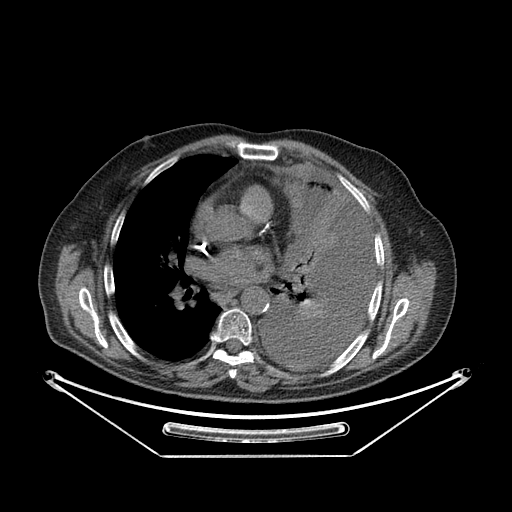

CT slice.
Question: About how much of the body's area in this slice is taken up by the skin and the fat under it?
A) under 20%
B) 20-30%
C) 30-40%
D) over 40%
Answer: B) 20-30%
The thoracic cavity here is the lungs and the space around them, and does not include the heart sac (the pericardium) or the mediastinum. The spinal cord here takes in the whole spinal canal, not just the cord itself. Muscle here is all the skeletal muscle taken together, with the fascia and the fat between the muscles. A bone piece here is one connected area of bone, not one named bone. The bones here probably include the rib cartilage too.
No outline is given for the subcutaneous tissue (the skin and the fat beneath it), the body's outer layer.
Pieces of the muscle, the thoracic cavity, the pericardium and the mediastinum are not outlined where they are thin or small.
Outlines (x, y in pixels):
spinal cord: (229, 339) (237, 339) (241, 343) (241, 344) (242, 345) (242, 348) (238, 352) (237, 352) (236, 353) (230, 353) (225, 348) (225, 343)
bones 1: (234, 307) (241, 309) (249, 317) (255, 337) (253, 348) (263, 362) (255, 360) (237, 364) (234, 367) (236, 369) (234, 378) (231, 378) (228, 373) (231, 367) (228, 363) (215, 359) (210, 355) (202, 361) (187, 365) (208, 349) (210, 333) (216, 327) (221, 312) with a hole at (229, 339) (237, 339) (241, 343) (241, 344) (242, 345) (242, 348) (238, 352) (237, 352) (236, 353) (230, 353) (225, 348) (225, 343)
bones 2: (231, 140) (234, 140) (235, 141) (245, 141) (246, 142) (252, 142) (253, 143) (273, 144) (274, 145) (276, 145) (278, 147) (279, 149) (279, 154) (278, 156) (273, 160) (246, 159) (241, 157) (233, 149) (231, 149) (226, 145) (226, 143) (228, 141) (230, 141)
bones 3: (367, 328) (369, 329) (368, 336) (365, 340) (363, 345) (359, 349) (355, 355) (344, 366) (337, 371) (332, 373) (328, 376) (319, 377) (318, 375) (325, 370) (329, 366) (329, 364) (330, 364) (346, 349) (346, 348) (355, 339) (359, 333) (364, 329) (366, 329)
bones 4: (110, 309) (111, 309) (117, 315) (120, 322) (127, 332) (128, 335) (138, 346) (138, 350) (147, 359) (147, 361) (146, 362) (145, 361) (142, 361) (134, 356) (127, 349) (126, 349) (126, 348) (119, 340) (119, 339) (115, 334) (110, 324) (110, 322) (108, 318) (108, 311)
bones 5: (84, 286) (87, 288) (90, 293) (93, 307) (96, 311) (98, 316) (98, 319) (99, 320) (98, 326) (100, 332) (108, 344) (108, 346) (106, 348) (103, 347) (99, 343) (95, 335) (94, 323) (91, 315) (87, 311) (84, 310) (81, 307) (79, 303) (79, 290) (81, 287)
bones 6: (404, 297) (407, 298) (409, 301) (409, 304) (406, 310) (406, 312) (401, 317) (398, 318) (394, 323) (394, 325) (391, 331) (390, 339) (384, 351) (375, 359) (373, 359) (372, 358) (373, 352) (380, 347) (384, 341) (386, 333) (393, 317) (394, 307) (397, 301) (399, 299)
bones 7: (338, 172) (343, 175) (348, 180) (349, 180) (350, 182) (351, 182) (362, 192) (369, 204) (369, 208) (370, 209) (370, 212) (369, 213) (366, 213) (366, 212) (364, 211) (362, 207) (355, 199) (355, 198) (342, 185) (342, 184) (339, 181) (336, 176) (336, 173)
bones 8: (380, 279) (383, 281) (383, 283) (382, 284) (382, 293) (381, 294) (381, 299) (380, 300) (379, 307) (378, 308) (377, 313) (375, 316) (375, 318) (373, 321) (370, 322) (368, 319) (368, 316) (367, 315) (368, 305) (371, 299) (376, 283) (377, 281)
bones 9: (176, 154) (179, 154) (180, 155) (180, 158) (175, 163) (174, 163) (170, 167) (165, 169) (159, 174) (158, 174) (155, 177) (154, 177) (146, 185) (144, 186) (142, 186) (144, 180) (151, 172) (151, 171) (157, 165) (163, 162) (165, 160) (171, 157) (173, 155) (175, 155)
bones 10: (106, 262) (108, 262) (112, 266) (112, 269) (113, 270) (113, 280) (114, 281) (114, 288) (115, 290) (114, 291) (114, 294) (111, 295) (110, 297) (108, 297) (107, 296) (106, 292) (105, 291) (105, 287) (104, 286) (104, 278) (103, 277) (103, 270) (104, 269) (104, 265)
bones 11: (377, 232) (379, 233) (381, 237) (381, 240) (382, 241) (382, 245) (383, 246) (383, 252) (384, 253) (384, 262) (383, 263) (383, 267) (382, 269) (381, 269) (377, 265) (376, 263) (376, 260) (375, 259) (375, 252) (374, 251) (374, 235) (375, 233)
bones 12: (123, 209) (125, 209) (126, 210) (125, 217) (123, 220) (123, 223) (120, 229) (120, 231) (119, 232) (119, 235) (118, 236) (117, 241) (115, 245) (112, 247) (110, 246) (110, 239) (111, 238) (111, 233) (112, 232) (112, 229) (113, 228) (114, 223) (118, 215)
bones 13: (267, 364) (270, 364) (271, 365) (274, 366) (277, 369) (278, 369) (279, 370) (280, 370) (281, 371) (282, 371) (283, 372) (286, 373) (288, 375) (288, 376) (279, 376) (278, 375) (277, 375) (275, 372) (271, 372) (270, 371) (269, 371) (266, 368) (266, 365)
thoracic cavity 1: (289, 163) (318, 166) (337, 180) (354, 198) (369, 221) (377, 266) (375, 285) (367, 305) (367, 316) (358, 334) (330, 363) (305, 371) (274, 363) (262, 351) (253, 330) (253, 326) (270, 309) (273, 297) (284, 280) (286, 266) (300, 250) (301, 225) (293, 196) (269, 165)
thoracic cavity 2: (201, 153) (233, 157) (237, 161) (207, 186) (197, 201) (188, 226) (185, 269) (206, 290) (209, 300) (219, 306) (221, 311) (215, 327) (209, 333) (207, 349) (190, 359) (170, 361) (158, 358) (139, 347) (121, 322) (114, 295) (114, 250) (126, 214) (138, 192) (180, 159)
pericardium: (251, 170) (266, 172) (270, 174) (273, 172) (290, 192) (300, 225) (299, 250) (289, 260) (283, 269) (271, 275) (265, 281) (243, 285) (214, 285) (208, 281) (195, 277) (187, 267) (186, 263) (192, 222) (198, 205) (203, 199) (234, 175) (240, 172) (247, 172)
muscle 1: (282, 138) (301, 141) (325, 152) (375, 191) (378, 194) (374, 198) (375, 206) (385, 222) (393, 262) (398, 270) (407, 271) (414, 259) (419, 262) (425, 258) (434, 262) (437, 277) (423, 333) (399, 357) (330, 385) (303, 389) (283, 389) (274, 385) (265, 391) (254, 392) (239, 387) (232, 379) (236, 377) (237, 365) (264, 362) (254, 348) (254, 335) (263, 354) (274, 364) (300, 372) (328, 365) (317, 375) (328, 377) (344, 367) (364, 345) (370, 329) (361, 330) (362, 327) (367, 317) (370, 323) (376, 318) (383, 293) (384, 281) (380, 278) (376, 282) (376, 273) (377, 267) (381, 270) (384, 267) (384, 246) (380, 233) (372, 233) (367, 198) (338, 171) (336, 179) (325, 169) (301, 158) (279, 156) (276, 144) (263, 142) with holes at (404, 297) (407, 298) (409, 301) (409, 304) (406, 310) (406, 312) (401, 317) (398, 318) (394, 323) (394, 325) (391, 331) (390, 339) (384, 351) (375, 359) (373, 359) (372, 358) (373, 352) (380, 347) (384, 341) (386, 333) (393, 317) (394, 307) (397, 301) (399, 299) and at (267, 364) (270, 364) (271, 365) (274, 366) (277, 369) (278, 369) (279, 370) (280, 370) (281, 371) (282, 371) (283, 372) (286, 373) (288, 375) (288, 376) (279, 376) (278, 375) (277, 375) (275, 372) (271, 372) (270, 371) (269, 371) (266, 368) (266, 365)
muscle 2: (218, 134) (234, 134) (248, 141) (228, 140) (225, 145) (236, 153) (201, 152) (181, 158) (176, 153) (150, 171) (127, 211) (123, 208) (113, 223) (109, 239) (109, 246) (114, 247) (112, 265) (106, 261) (102, 270) (105, 294) (108, 298) (114, 296) (117, 312) (111, 308) (107, 311) (109, 324) (125, 349) (138, 360) (146, 363) (148, 361) (140, 348) (165, 361) (193, 359) (186, 363) (187, 366) (202, 362) (210, 356) (229, 365) (227, 373) (230, 378) (209, 387) (185, 387) (174, 384) (170, 379) (138, 374) (117, 367) (80, 343) (63, 323) (55, 293) (55, 276) (61, 248) (65, 244) (78, 243) (83, 249) (81, 258) (86, 264) (91, 262) (94, 246) (100, 243) (110, 215) (127, 196) (129, 183) (142, 166) (190, 142) with a hole at (84, 286) (87, 288) (90, 293) (93, 307) (96, 311) (98, 316) (98, 319) (99, 320) (98, 326) (100, 332) (108, 344) (108, 346) (106, 348) (103, 347) (99, 343) (95, 335) (94, 323) (91, 315) (87, 311) (84, 310) (81, 307) (79, 303) (79, 290) (81, 287)
mediastinum 1: (188, 270) (195, 278) (208, 282) (214, 286) (243, 286) (248, 284) (257, 284) (265, 282) (271, 276) (282, 270) (283, 280) (272, 297) (269, 309) (265, 315) (255, 325) (253, 325) (248, 314) (237, 306) (230, 307) (222, 311) (219, 305) (210, 300) (207, 290) (188, 273)
mediastinum 2: (228, 153) (237, 154) (246, 160) (273, 161) (278, 157) (292, 157) (301, 159) (307, 163) (270, 163) (268, 165) (272, 173) (251, 169) (234, 174) (198, 203) (191, 222) (189, 241) (190, 221) (200, 197) (214, 180) (234, 166) (238, 161) (233, 156) (225, 156) (220, 154)
torso: (203, 122) (259, 132) (320, 130) (375, 149) (402, 169) (421, 203) (444, 225) (456, 259) (452, 313) (442, 336) (422, 359) (379, 383) (338, 396) (285, 403) (229, 402) (184, 397) (136, 385) (50, 339) (37, 277) (42, 248) (58, 214) (85, 181) (129, 143) (144, 134)